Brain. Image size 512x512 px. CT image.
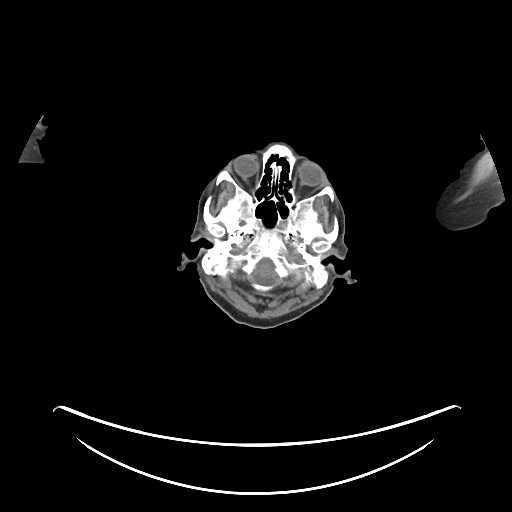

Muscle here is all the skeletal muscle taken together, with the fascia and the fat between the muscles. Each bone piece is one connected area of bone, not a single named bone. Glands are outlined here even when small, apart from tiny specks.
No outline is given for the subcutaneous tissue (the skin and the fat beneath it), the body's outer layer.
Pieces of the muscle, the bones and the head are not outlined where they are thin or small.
Outlined structures:
parotid glands: [[337,241],[337,249],[338,250],[338,251],[336,253],[335,253],[334,252],[333,252],[333,251],[335,249],[335,248],[334,247],[334,244]]
left arm: [[479,135],[481,136],[488,150],[489,158],[499,178],[503,192],[504,202],[492,208],[489,211],[488,217],[483,222],[475,226],[459,230],[444,229],[438,224],[434,217],[434,205],[444,188],[458,176],[459,169],[464,162],[483,148],[484,145],[479,139]]
brain: [[263,259],[268,259],[272,263],[272,264],[273,265],[273,270],[274,271],[274,272],[277,275],[277,280],[273,283],[270,283],[269,284],[263,284],[262,283],[260,283],[259,282],[254,281],[252,279],[252,273],[257,267],[257,265],[259,263],[259,262]]
right arm: [[42,117],[42,122],[44,124],[47,125],[48,126],[48,128],[47,129],[47,131],[45,135],[38,142],[38,144],[39,145],[40,152],[41,154],[45,158],[45,162],[43,163],[21,163],[20,164],[19,163],[19,159],[22,154],[22,152],[33,130]]
muscle 1: [[327,267],[330,274],[329,281],[324,292],[316,300],[271,319],[251,318],[240,312],[210,288],[204,275],[218,276],[224,280],[230,274],[239,271],[254,290],[265,293],[284,284],[291,277],[297,281],[302,279],[300,286],[303,289],[310,286],[320,289],[328,282],[329,279]]
muscle 2: [[488,150],[489,158],[491,160],[491,163],[493,164],[493,167],[495,170],[488,177],[488,178],[483,183],[479,185],[471,194],[459,201],[454,202],[454,199],[458,197],[465,190],[467,185],[467,182],[472,173],[472,169],[473,167],[479,160],[480,157]]
muscle 3: [[323,195],[327,195],[330,201],[332,203],[334,201],[334,200],[337,206],[337,216],[335,214],[334,214],[332,216],[332,228],[331,230],[328,232],[326,232],[325,231],[323,224],[319,219],[319,214],[314,208],[314,201],[315,199],[317,197],[319,197]]
muscle 4: [[222,181],[227,181],[232,184],[234,187],[234,192],[232,196],[229,197],[226,200],[226,202],[220,208],[216,215],[213,215],[210,212],[210,204],[213,197],[211,194],[209,194],[208,195],[208,194],[210,189],[212,186],[214,185],[214,184],[217,186]]
muscle 5: [[291,248],[292,249],[292,251],[294,253],[296,253],[297,254],[299,254],[301,256],[301,258],[303,261],[302,262],[297,262],[294,260],[290,260],[289,259],[289,258],[288,257],[288,255],[289,255],[290,254],[290,252],[291,251],[290,250],[290,249]]
muscle 6: [[202,221],[203,221],[203,222],[204,223],[204,225],[205,226],[205,228],[206,229],[206,230],[209,233],[209,234],[212,237],[211,238],[209,238],[208,237],[207,237],[205,235],[204,235],[201,232],[201,226],[202,225]]
muscle 7: [[333,244],[333,247],[334,248],[334,249],[332,251],[332,252],[331,253],[329,253],[327,255],[326,255],[325,254],[324,254],[326,252],[327,252],[332,247],[332,245]]
head: [[279,140],[332,179],[345,215],[347,253],[322,263],[332,263],[339,273],[349,269],[355,282],[338,277],[327,298],[299,318],[256,328],[234,321],[207,296],[193,262],[180,271],[177,266],[182,251],[192,258],[212,246],[190,236],[200,195],[221,165]]; inner edges: [[280,200],[282,201],[287,210],[286,215],[283,216],[279,209],[277,208],[275,211],[276,219],[274,223],[269,226],[266,225],[262,218],[257,215],[257,208],[258,206],[265,201],[269,202],[272,201],[274,202],[276,206],[279,203]], then [[267,169],[269,170],[269,179],[266,182],[266,185],[269,188],[269,190],[267,192],[267,193],[265,194],[265,195],[263,195],[261,197],[258,197],[257,195],[257,192],[262,185],[262,181],[264,179],[266,175],[266,170]], then [[282,158],[284,158],[285,159],[285,161],[287,163],[287,176],[286,177],[286,178],[284,178],[283,179],[282,179],[282,172],[283,171],[283,170],[284,169],[284,166],[281,163],[280,163],[279,162],[279,160],[280,159],[281,159]], then [[282,188],[282,189],[283,190],[285,190],[287,192],[287,193],[288,194],[289,194],[289,195],[290,196],[290,199],[289,200],[287,198],[287,197],[281,191],[282,190]]
bones: [[273,144],[286,145],[296,157],[293,184],[300,199],[326,185],[334,191],[332,202],[327,194],[313,201],[326,233],[333,228],[333,216],[338,220],[337,238],[323,254],[328,279],[320,288],[303,288],[303,279],[291,276],[262,292],[239,270],[224,279],[206,274],[201,266],[213,237],[203,220],[204,203],[211,195],[209,212],[216,216],[235,192],[227,180],[216,185],[218,173],[225,169],[250,192],[260,176],[262,154]], around holes outlined by [[280,200],[282,201],[287,210],[286,215],[283,216],[279,209],[277,208],[275,211],[276,219],[274,223],[269,226],[266,225],[262,218],[257,215],[257,208],[258,206],[265,201],[269,202],[272,201],[274,202],[276,206],[279,203]] and by [[263,259],[268,259],[272,263],[272,264],[273,265],[273,270],[274,271],[274,272],[277,275],[277,280],[273,283],[270,283],[269,284],[263,284],[262,283],[260,283],[259,282],[254,281],[252,279],[252,273],[257,267],[257,265],[259,263],[259,262]] and by [[267,169],[269,170],[269,179],[266,182],[266,185],[269,188],[269,190],[267,192],[267,193],[265,194],[265,195],[263,195],[261,197],[258,197],[257,195],[257,192],[262,185],[262,181],[264,179],[266,175],[266,170]] and by [[291,248],[292,249],[292,251],[294,253],[296,253],[297,254],[299,254],[301,256],[301,258],[303,261],[302,262],[297,262],[294,260],[290,260],[289,259],[289,258],[288,257],[288,255],[289,255],[290,254],[290,252],[291,251],[290,250],[290,249]] and by [[282,158],[284,158],[285,159],[285,161],[287,163],[287,176],[286,177],[286,178],[284,178],[283,179],[282,179],[282,172],[283,171],[283,170],[284,169],[284,166],[281,163],[280,163],[279,162],[279,160],[280,159],[281,159]] and by [[233,246],[235,246],[237,248],[238,248],[239,249],[242,249],[242,251],[241,252],[237,252],[236,253],[234,253],[233,252],[232,252],[232,251],[233,250]] and by [[282,188],[282,189],[283,190],[285,190],[287,192],[287,193],[288,194],[289,194],[289,195],[290,196],[290,199],[289,200],[287,198],[287,197],[281,191],[282,190]]